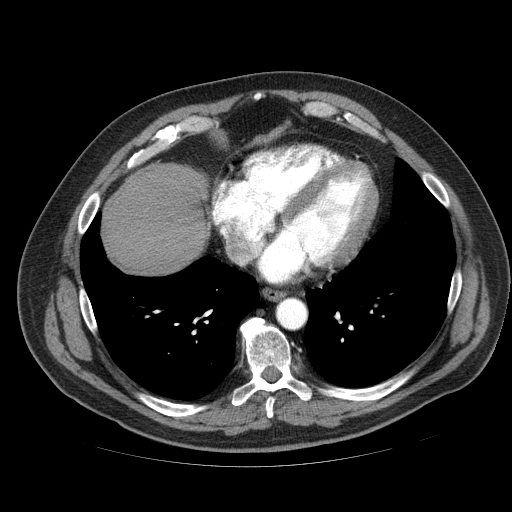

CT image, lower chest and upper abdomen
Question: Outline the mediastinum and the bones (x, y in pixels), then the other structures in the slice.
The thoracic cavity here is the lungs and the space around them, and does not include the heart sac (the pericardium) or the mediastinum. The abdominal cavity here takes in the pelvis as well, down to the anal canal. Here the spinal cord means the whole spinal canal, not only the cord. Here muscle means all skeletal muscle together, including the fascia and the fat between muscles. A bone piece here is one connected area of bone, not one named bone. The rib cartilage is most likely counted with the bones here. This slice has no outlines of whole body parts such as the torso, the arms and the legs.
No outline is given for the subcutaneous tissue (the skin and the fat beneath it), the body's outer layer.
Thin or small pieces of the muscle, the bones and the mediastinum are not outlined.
Answer: {"mediastinum":[[[263,98],[296,106],[306,116],[331,117],[393,150],[397,157],[389,219],[375,235],[372,237],[372,232],[382,210],[382,176],[371,155],[351,141],[315,131],[286,131],[234,151],[213,179],[203,165],[154,157],[184,135],[216,129],[221,120],[235,110]],[[334,274],[331,279],[321,287],[310,288],[305,292],[308,317],[302,336],[303,347],[299,355],[301,361],[293,354],[291,342],[286,334],[275,324],[257,315],[247,318],[240,324],[258,305],[260,296],[256,279],[276,287],[293,287],[319,284],[323,280],[324,280],[329,280]],[[211,227],[214,228],[214,230],[218,238],[223,243],[225,249],[225,254],[229,261],[232,264],[245,271],[242,271],[236,267],[230,266],[226,263],[221,261],[216,257],[206,254],[208,251],[208,246],[210,244],[210,238],[212,236],[212,230]]],"bones":[{"outer":[[253,316],[263,318],[285,334],[290,342],[295,373],[312,389],[312,397],[309,400],[302,400],[285,387],[273,392],[275,400],[273,416],[270,418],[265,409],[270,393],[265,390],[257,390],[240,405],[231,403],[233,387],[248,378],[244,344],[238,328]],"hole":[[269,366],[273,366],[274,367],[275,367],[279,371],[279,372],[280,373],[280,376],[275,381],[274,381],[273,382],[269,382],[268,381],[267,381],[262,376],[262,373],[263,372],[263,371],[267,367],[268,367]]},[[194,114],[219,119],[220,125],[218,127],[197,133],[182,133],[181,134],[183,137],[173,142],[167,149],[143,163],[129,170],[126,170],[126,163],[129,157],[134,152],[151,144],[153,142],[151,140],[151,137],[159,129],[168,124],[175,124]],[[412,367],[416,367],[417,370],[407,381],[393,391],[378,399],[358,400],[357,401],[342,399],[337,397],[324,395],[320,393],[316,388],[316,386],[319,382],[325,382],[343,388],[352,388],[353,389],[365,388],[376,385],[396,375],[401,371],[407,370]],[[136,392],[149,393],[154,396],[160,398],[163,398],[176,403],[203,403],[206,402],[208,403],[210,406],[205,410],[203,410],[200,412],[197,412],[191,415],[187,415],[186,416],[170,416],[169,415],[163,414],[143,403],[135,396],[135,393]],[[96,190],[98,190],[100,191],[100,205],[97,211],[95,213],[89,226],[81,237],[78,234],[78,231],[77,230],[77,223],[78,222],[78,217],[79,216],[79,213],[81,210],[81,208],[84,202],[86,200],[88,196],[91,193],[92,193]],[[422,170],[429,171],[433,173],[441,182],[441,183],[445,188],[447,192],[447,194],[449,197],[449,199],[450,200],[450,208],[447,209],[445,207],[444,207],[444,206],[431,193],[431,192],[425,185],[425,184],[423,182],[422,179],[419,175],[420,171]],[[82,284],[87,294],[89,301],[91,304],[91,307],[93,311],[93,314],[95,318],[95,321],[97,324],[97,331],[98,333],[96,336],[93,335],[93,334],[86,325],[84,321],[84,319],[82,316],[82,313],[80,309],[80,304],[79,303],[79,287]],[[308,101],[322,101],[323,102],[326,102],[327,103],[334,106],[336,108],[337,108],[337,109],[338,110],[338,114],[337,115],[332,115],[330,117],[319,117],[318,116],[313,116],[312,115],[306,115],[302,112],[302,111],[300,108],[304,103],[305,103]],[[345,111],[348,111],[354,114],[356,116],[359,117],[362,120],[363,120],[365,122],[369,124],[372,127],[375,128],[385,138],[386,140],[386,142],[384,143],[368,135],[366,133],[354,127],[348,122],[347,122],[347,121],[342,117],[342,115],[341,114]],[[456,267],[460,268],[461,270],[461,273],[462,274],[461,289],[459,293],[459,296],[457,299],[457,301],[454,306],[454,308],[452,312],[450,315],[447,315],[447,300],[449,295],[449,290],[451,285],[452,276],[453,275],[454,270]]],"pericardium":[[[295,130],[315,132],[336,140],[351,142],[367,152],[377,165],[381,176],[381,210],[369,240],[345,267],[334,273],[329,279],[305,285],[276,286],[259,281],[230,261],[226,254],[225,245],[213,226],[210,192],[212,180],[228,156],[248,147],[256,141]]],"thoracic_cavity":[[[398,157],[418,174],[430,193],[449,215],[455,245],[455,267],[446,300],[446,314],[437,333],[423,352],[396,374],[365,387],[335,385],[312,374],[300,356],[304,347],[303,336],[309,317],[306,292],[310,289],[321,288],[345,268],[390,219],[394,166]],[[98,210],[101,212],[99,236],[105,255],[124,274],[146,277],[167,276],[208,255],[255,279],[259,296],[257,305],[240,321],[237,328],[244,356],[240,359],[234,376],[221,388],[197,402],[176,402],[152,394],[114,362],[100,337],[80,268],[81,240]]],"abdominal_cavity":[[[152,158],[183,160],[203,166],[206,170],[209,170],[209,179],[211,180],[209,192],[210,215],[212,221],[212,226],[210,227],[211,236],[205,255],[179,271],[157,276],[128,274],[114,265],[106,255],[100,236],[102,212],[99,208],[108,191],[122,176]]],"muscle":[{"outer":[[261,89],[292,89],[298,92],[319,90],[320,91],[327,91],[337,93],[353,99],[370,110],[383,125],[400,136],[442,175],[457,195],[465,212],[467,214],[470,225],[472,227],[472,232],[477,243],[477,248],[480,253],[480,256],[483,263],[485,281],[486,286],[488,289],[488,294],[490,300],[490,319],[489,324],[483,337],[477,346],[451,372],[386,407],[372,412],[355,416],[346,422],[344,422],[337,426],[333,427],[303,426],[302,425],[293,425],[283,421],[277,421],[268,428],[257,429],[255,431],[250,431],[246,433],[239,433],[235,435],[218,435],[211,432],[191,431],[190,430],[183,430],[170,427],[141,414],[106,393],[99,390],[88,382],[76,376],[64,366],[60,364],[53,357],[47,348],[43,334],[43,320],[44,319],[45,309],[49,299],[50,291],[52,289],[54,283],[56,267],[58,263],[58,258],[61,247],[61,240],[72,213],[80,201],[83,193],[102,167],[117,149],[139,133],[153,120],[166,112],[182,106],[185,106],[189,104],[213,102],[236,94]],"hole":[[257,92],[298,108],[308,101],[326,102],[338,110],[331,118],[354,130],[341,114],[348,111],[375,128],[418,174],[433,173],[450,200],[447,211],[461,289],[431,342],[403,369],[416,367],[415,373],[378,399],[320,393],[316,386],[324,381],[293,355],[295,373],[309,384],[312,397],[302,400],[288,388],[278,389],[272,393],[270,418],[265,409],[270,393],[265,390],[240,405],[231,403],[233,387],[248,378],[242,357],[231,380],[197,402],[208,403],[207,409],[166,415],[135,396],[150,392],[114,362],[100,335],[93,335],[84,321],[79,303],[79,213],[94,191],[100,191],[101,202],[104,199],[128,171],[129,157],[151,144],[159,129],[194,114],[224,120],[252,102]]}],"spinal_cord":[[[269,366],[273,366],[274,367],[275,367],[279,371],[279,372],[280,373],[280,376],[275,381],[274,381],[273,382],[269,382],[268,381],[267,381],[262,376],[262,373],[263,372],[263,371],[267,367],[268,367]]]}